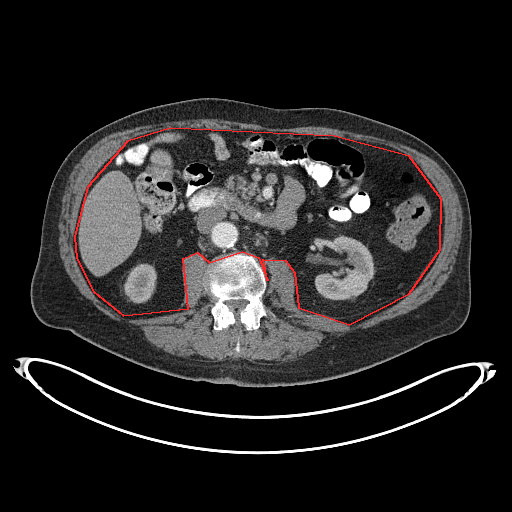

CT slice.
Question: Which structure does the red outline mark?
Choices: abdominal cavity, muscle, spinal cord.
Answer: red: abdominal cavity.
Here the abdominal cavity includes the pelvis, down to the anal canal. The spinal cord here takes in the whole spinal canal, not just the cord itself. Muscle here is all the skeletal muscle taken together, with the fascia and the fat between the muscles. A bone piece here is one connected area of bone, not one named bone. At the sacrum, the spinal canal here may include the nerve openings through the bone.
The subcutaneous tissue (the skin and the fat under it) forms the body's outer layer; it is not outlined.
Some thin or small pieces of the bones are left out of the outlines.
Outlines (x, y in pixels):
abdominal cavity: 349 324; 409 293; 440 249; 441 199; 409 156; 334 136; 170 128; 127 141; 87 187; 74 236; 76 258; 93 291; 123 315; 188 308; 183 258; 197 252; 209 262; 242 251; 258 257; 267 280; 263 259; 285 260; 294 272; 298 307
torso: 244 387; 301 385; 349 375; 451 334; 464 324; 471 305; 469 203; 455 171; 430 145; 402 129; 340 109; 273 108; 201 97; 123 116; 90 133; 67 154; 48 192; 30 283; 30 302; 36 317; 47 326; 69 330; 149 369; 183 379
spinal cord: 236 315; 239 314; 240 313; 240 312; 242 310; 243 310; 245 305; 247 303; 247 301; 246 300; 244 300; 243 299; 239 299; 238 300; 229 300; 228 301; 226 301; 225 302; 225 303; 229 307; 229 308; 233 311; 234 314; 235 314
bones: 217 330; 237 323; 243 324; 248 330; 257 329; 260 319; 263 316; 274 316; 262 300; 262 295; 266 288; 266 277; 256 256; 242 252; 229 252; 214 258; 206 267; 202 281; 207 295; 214 303; 210 308; 210 312; 214 319; 213 327 with a hole at 236 315; 239 314; 240 313; 240 312; 242 310; 243 310; 245 305; 247 303; 247 301; 246 300; 244 300; 243 299; 239 299; 238 300; 229 300; 228 301; 226 301; 225 302; 225 303; 229 307; 229 308; 233 311; 234 314; 235 314
muscle: 265 364; 280 364; 297 359; 335 337; 349 332; 353 332; 357 330; 368 328; 383 320; 390 319; 398 315; 407 313; 409 311; 415 309; 424 302; 429 300; 441 288; 443 284; 449 278; 453 270; 453 266; 457 256; 457 250; 461 239; 461 228; 463 219; 462 209; 456 190; 448 175; 434 160; 423 153; 421 153; 406 145; 386 140; 383 138; 376 137; 372 135; 365 135; 346 130; 341 130; 336 128; 330 128; 323 126; 302 126; 293 128; 271 128; 254 123; 243 123; 215 118; 213 119; 190 119; 189 120; 178 120; 177 121; 162 122; 157 124; 138 126; 134 128; 109 134; 99 140; 83 155; 75 165; 69 176; 68 183; 65 188; 65 191; 62 198; 61 213; 58 224; 59 228; 58 242; 59 243; 60 256; 63 261; 66 272; 75 284; 80 293; 87 298; 99 310; 111 318; 118 320; 120 322; 130 326; 142 338; 150 342; 156 347; 173 355; 181 356; 193 360; 201 360; 208 362; 220 362; 232 355; 239 355; 251 362; 258 362, around holes outlined by 217 330; 257 329; 274 316; 262 300; 265 257; 289 264; 300 309; 349 324; 409 293; 443 235; 441 199; 419 165; 385 145; 289 132; 170 128; 127 141; 82 198; 74 236; 80 269; 114 309; 151 317; 188 308; 181 263; 201 253 and by 236 352; 239 352; 239 351; 240 350; 240 345; 239 344; 239 340; 238 339; 238 338; 237 338; 237 341; 236 342; 236 344; 235 345; 235 347; 234 348; 234 350